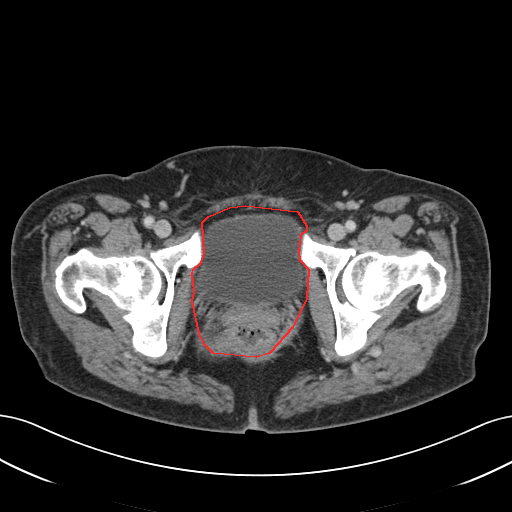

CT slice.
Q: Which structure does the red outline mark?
A: red: abdominal cavity.
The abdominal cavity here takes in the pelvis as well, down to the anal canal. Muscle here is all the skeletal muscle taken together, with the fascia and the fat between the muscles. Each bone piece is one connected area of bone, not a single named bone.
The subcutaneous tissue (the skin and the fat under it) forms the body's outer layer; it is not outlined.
The abdominal cavity is outlined by [[245,205],[297,211],[306,225],[306,230],[300,235],[298,251],[299,259],[308,269],[306,298],[292,327],[269,353],[256,357],[213,353],[204,344],[199,333],[192,301],[194,291],[192,273],[193,269],[201,262],[204,253],[202,222],[208,216],[229,207]]. The bones appear in 2 outlined pieces: piece 1: [[196,230],[202,235],[202,257],[193,268],[182,265],[173,279],[167,349],[161,356],[134,351],[132,328],[122,317],[125,312],[107,295],[84,288],[86,309],[75,313],[56,292],[56,267],[80,248],[88,248],[99,257],[147,257],[150,250],[181,243]]; piece 2: [[305,232],[320,243],[352,247],[358,253],[376,250],[404,256],[418,248],[425,249],[447,271],[441,302],[421,312],[416,308],[421,287],[407,287],[379,311],[382,316],[368,329],[362,350],[338,355],[325,276],[320,268],[308,268],[300,259],[300,239]]. The muscle is outlined by [[255,192],[291,200],[319,215],[326,222],[364,209],[383,198],[409,193],[422,194],[441,201],[455,212],[455,240],[461,267],[461,300],[453,327],[437,345],[426,367],[418,375],[395,387],[287,418],[276,417],[272,406],[282,386],[298,372],[328,369],[328,364],[319,351],[312,321],[305,318],[292,344],[278,358],[257,366],[225,365],[199,360],[195,356],[193,339],[188,339],[177,365],[191,367],[230,386],[235,401],[234,410],[230,413],[218,413],[192,404],[139,395],[102,380],[86,370],[73,345],[53,319],[42,291],[42,230],[43,220],[50,211],[73,197],[106,193],[123,198],[141,209],[183,221],[192,213],[213,207],[223,199]]; inner edge: [[245,205],[297,211],[313,240],[358,253],[425,249],[447,271],[441,302],[421,312],[421,287],[407,287],[340,356],[325,276],[309,268],[269,353],[216,354],[182,265],[165,353],[135,352],[125,312],[92,288],[71,311],[56,267],[83,247],[147,257]]. The torso is outlined by [[213,145],[312,149],[362,167],[441,183],[470,199],[484,223],[491,261],[488,330],[476,354],[473,380],[371,420],[302,432],[248,429],[243,434],[150,420],[48,381],[22,339],[11,288],[10,246],[21,213],[60,184],[99,173],[126,175],[174,154]].